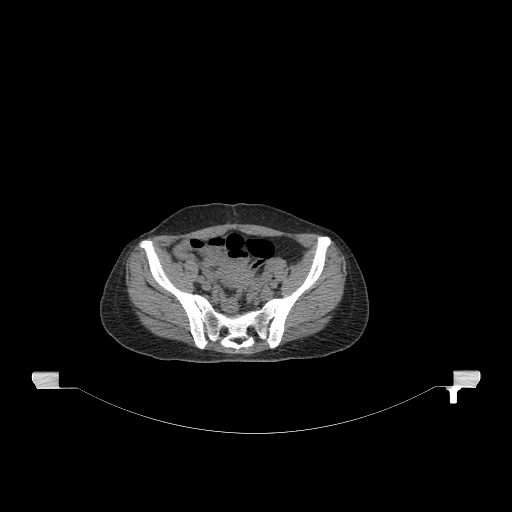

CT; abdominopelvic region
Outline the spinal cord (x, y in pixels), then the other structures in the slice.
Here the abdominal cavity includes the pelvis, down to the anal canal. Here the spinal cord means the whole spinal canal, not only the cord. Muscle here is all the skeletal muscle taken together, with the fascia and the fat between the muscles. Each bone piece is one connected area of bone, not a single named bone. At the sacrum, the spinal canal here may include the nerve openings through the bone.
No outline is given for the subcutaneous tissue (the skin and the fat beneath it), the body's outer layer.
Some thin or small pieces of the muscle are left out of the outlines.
Outlined structures:
spinal cord 1: 236 338; 244 338; 245 339; 244 340; 243 340; 241 342; 237 342; 236 341; 234 341; 233 340; 232 340; 232 339; 235 339
spinal cord 2: 224 329; 225 329; 226 329; 227 330; 227 331; 227 332; 226 333; 225 333; 224 333; 223 332; 223 331; 223 330
spinal cord 3: 249 329; 250 329; 251 329; 252 330; 252 331; 252 332; 251 333; 250 333; 249 333; 248 332; 248 331; 248 330
bones: 320 235; 331 239; 323 269; 291 307; 275 348; 256 335; 248 347; 225 347; 209 339; 204 349; 198 348; 185 310; 154 279; 139 246; 143 239; 152 241; 164 272; 177 288; 205 297; 218 312; 232 316; 293 292; 310 269 with a hole at 236 338; 244 338; 245 339; 244 340; 243 340; 241 342; 237 342; 236 341; 234 341; 233 340; 232 340; 232 339; 235 339
muscle 1: 225 223; 255 224; 290 233; 320 234; 316 237; 311 263; 302 282; 289 294; 280 296; 278 293; 281 283; 276 280; 274 274; 274 266; 277 260; 282 259; 290 266; 302 258; 306 249; 299 242; 287 236; 251 234; 234 228; 207 238; 181 238; 167 248; 174 262; 184 263; 189 260; 197 266; 197 276; 193 282; 194 291; 190 292; 177 287; 165 272; 153 241; 147 238; 155 235; 183 234
muscle 2: 138 243; 138 246; 144 252; 148 268; 153 279; 162 288; 171 293; 184 310; 188 320; 189 331; 194 345; 196 347; 178 340; 168 339; 153 334; 140 323; 134 313; 133 307; 131 305; 126 291; 125 265; 130 252; 133 249; 133 247
muscle 3: 332 240; 334 241; 345 257; 347 273; 342 298; 336 309; 333 311; 333 316; 331 320; 323 329; 314 334; 292 340; 278 346; 281 342; 285 330; 286 319; 292 307; 299 297; 305 291; 311 288; 320 277; 325 266; 327 252; 332 243
muscle 4: 255 336; 261 340; 265 340; 270 349; 259 351; 255 353; 251 354; 242 354; 241 353; 229 354; 214 350; 205 349; 209 340; 213 342; 218 341; 220 345; 225 348; 232 348; 236 350; 241 348; 248 348; 251 347; 255 343
torso: 212 202; 267 204; 336 232; 354 254; 367 286; 369 318; 361 337; 348 348; 324 357; 288 359; 275 362; 228 361; 217 363; 161 360; 131 351; 112 338; 101 324; 99 301; 104 282; 124 246; 131 239; 149 230; 176 210; 188 205
abdominal cavity: 234 229; 251 235; 291 238; 305 250; 301 258; 290 265; 282 258; 276 260; 273 274; 280 283; 279 296; 268 299; 257 309; 229 315; 218 311; 205 296; 194 292; 197 264; 189 259; 184 262; 174 261; 168 248; 181 239; 207 239